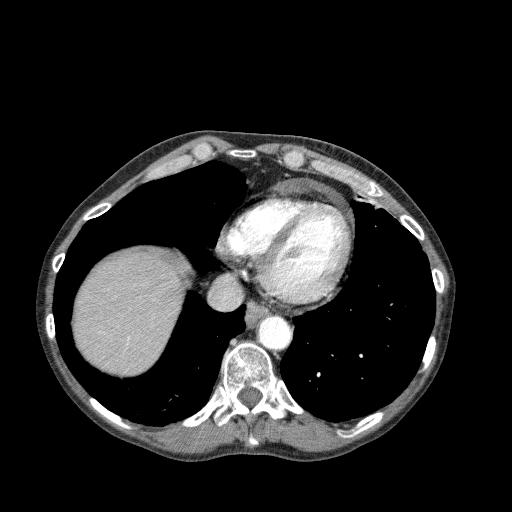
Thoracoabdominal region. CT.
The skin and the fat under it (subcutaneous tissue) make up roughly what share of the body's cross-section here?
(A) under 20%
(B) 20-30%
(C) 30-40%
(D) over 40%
Answer: (A) under 20%
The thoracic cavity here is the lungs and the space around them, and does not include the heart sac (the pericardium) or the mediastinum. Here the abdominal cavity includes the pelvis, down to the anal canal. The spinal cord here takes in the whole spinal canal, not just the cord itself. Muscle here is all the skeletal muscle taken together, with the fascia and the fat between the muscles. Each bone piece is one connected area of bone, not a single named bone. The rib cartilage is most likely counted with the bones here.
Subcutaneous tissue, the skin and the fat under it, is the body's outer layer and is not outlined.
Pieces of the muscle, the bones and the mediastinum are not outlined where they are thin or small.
{"pericardium":[[[295,177],[309,178],[329,186],[343,197],[347,203],[353,222],[353,245],[348,264],[348,271],[335,294],[324,303],[312,307],[310,311],[304,315],[283,316],[256,301],[234,275],[222,268],[215,254],[214,248],[216,246],[222,226],[250,196],[272,184]]],"bones":[{"outer":[[233,338],[253,342],[267,352],[275,374],[282,379],[305,413],[288,411],[285,417],[274,419],[267,412],[261,412],[251,421],[235,414],[221,425],[217,425],[211,415],[195,426],[180,425],[182,420],[206,404],[220,382],[222,359],[225,351],[233,346]],"hole":[[246,387],[251,387],[252,388],[255,388],[256,389],[257,389],[261,393],[261,398],[258,401],[258,402],[257,402],[253,406],[252,406],[251,407],[249,407],[248,406],[245,405],[238,398],[238,394],[241,391],[241,390],[242,390],[244,388],[245,388]]},[[312,159],[319,159],[330,164],[336,164],[346,168],[352,168],[367,177],[373,179],[388,193],[388,195],[387,196],[382,196],[375,198],[373,196],[367,194],[360,190],[354,191],[348,184],[344,183],[332,177],[324,175],[314,170],[309,165],[309,161]],[[202,142],[209,143],[214,149],[215,154],[210,159],[197,165],[183,169],[181,171],[172,173],[169,175],[166,175],[159,178],[152,179],[145,182],[142,182],[142,178],[146,173],[146,170],[148,168],[160,164],[182,154],[188,153],[191,151],[194,146]],[[378,410],[381,410],[384,412],[384,414],[382,418],[377,423],[363,430],[361,432],[356,434],[354,436],[352,437],[348,437],[347,438],[344,438],[343,437],[341,437],[339,436],[336,433],[336,430],[337,429],[348,429],[352,427],[362,418]],[[89,396],[91,396],[93,397],[107,409],[115,413],[117,415],[120,416],[125,422],[131,425],[132,428],[130,429],[128,429],[127,428],[122,427],[114,423],[112,421],[111,421],[109,419],[108,419],[106,417],[102,415],[90,404],[88,400],[88,398]],[[400,214],[407,214],[408,215],[411,216],[420,225],[420,226],[422,228],[422,229],[424,232],[424,234],[425,235],[425,238],[422,241],[419,241],[419,240],[407,228],[406,228],[399,221],[399,220],[398,219],[397,216],[398,216]],[[293,149],[297,151],[299,151],[301,152],[306,159],[306,162],[305,164],[301,168],[299,168],[298,167],[288,167],[288,166],[285,163],[282,162],[280,160],[280,159],[282,158],[282,155],[285,152],[287,151],[289,151],[290,150],[292,150]],[[431,334],[433,334],[435,336],[435,338],[436,339],[436,345],[435,346],[435,350],[428,366],[422,372],[419,372],[418,370],[421,366],[421,364],[422,363],[422,358],[423,357],[423,355],[425,351],[425,348],[426,347],[428,339]],[[101,202],[111,202],[112,203],[113,203],[113,205],[107,211],[104,212],[102,214],[101,214],[96,217],[94,217],[91,219],[89,219],[85,222],[84,221],[83,221],[83,220],[82,219],[82,217],[84,215],[84,214],[93,206],[94,206]],[[235,148],[253,148],[256,150],[256,151],[257,152],[257,154],[256,155],[256,156],[253,158],[251,158],[250,159],[243,159],[241,157],[239,157],[236,155],[233,155],[232,154],[228,154],[227,153],[227,151],[228,151],[231,149],[234,149]],[[47,312],[52,312],[52,313],[53,314],[53,320],[54,321],[54,324],[55,325],[55,339],[56,340],[55,341],[50,339],[48,337],[48,336],[47,335],[47,333],[46,332],[46,329],[45,328],[45,321],[44,320],[44,318],[45,317],[45,315]]],"muscle":[[[91,206],[81,217],[84,223],[66,252],[60,251],[52,258],[51,269],[56,277],[52,311],[47,311],[44,315],[44,328],[47,337],[57,342],[71,373],[90,395],[87,398],[89,404],[102,416],[122,428],[133,428],[123,418],[147,426],[164,426],[180,421],[181,427],[190,428],[198,426],[211,416],[215,424],[221,426],[235,415],[240,415],[251,422],[261,413],[267,413],[276,420],[285,418],[288,412],[296,415],[308,412],[327,422],[356,422],[348,428],[335,430],[339,437],[347,439],[377,424],[385,414],[380,409],[407,387],[417,371],[422,373],[429,366],[436,350],[437,339],[432,330],[436,313],[436,294],[441,295],[444,292],[444,274],[438,267],[430,267],[420,243],[426,238],[421,225],[449,276],[447,303],[443,311],[443,330],[433,368],[412,399],[392,418],[373,432],[331,450],[303,451],[281,442],[266,442],[259,445],[258,440],[250,433],[246,443],[252,447],[233,443],[219,445],[205,453],[184,454],[155,447],[125,434],[97,416],[72,391],[54,361],[42,323],[51,258],[77,219]],[[204,135],[221,137],[226,141],[241,147],[231,148],[227,150],[226,153],[222,152],[219,154],[216,153],[214,147],[209,142],[199,142],[188,152],[148,167],[141,178],[142,183],[126,193],[115,203],[111,201],[101,201],[95,204],[159,157],[194,138]],[[270,142],[293,143],[294,144],[305,146],[307,148],[318,153],[346,163],[365,174],[352,167],[346,167],[336,163],[330,163],[319,158],[312,158],[308,161],[308,165],[313,170],[311,169],[304,169],[302,168],[306,164],[307,159],[301,151],[294,148],[285,151],[281,155],[281,158],[279,159],[277,158],[273,159],[270,155],[260,155],[256,157],[258,154],[257,150],[253,147],[250,147],[253,147],[258,144],[269,143]],[[384,188],[391,193],[391,194],[406,208],[406,209],[415,218],[415,219],[411,215],[407,213],[400,213],[398,215],[396,215],[390,211],[390,210],[388,209],[385,205],[384,205],[378,199],[377,199],[377,198],[387,197],[389,195],[389,193]]],"spinal_cord":[[[246,387],[251,387],[252,388],[255,388],[256,389],[257,389],[261,393],[261,398],[258,401],[258,402],[257,402],[253,406],[252,406],[251,407],[249,407],[248,406],[245,405],[238,398],[238,394],[241,391],[241,390],[242,390],[244,388],[245,388]]],"mediastinum":[[[212,249],[221,268],[234,276],[256,302],[280,316],[295,317],[293,340],[281,358],[278,369],[264,348],[253,341],[235,338],[246,327],[244,305],[231,311],[219,311],[212,308],[197,290],[192,289],[197,274],[200,277],[205,276],[215,267],[216,260]],[[222,153],[243,160],[270,156],[288,168],[311,170],[348,185],[353,191],[350,206],[354,217],[354,241],[354,222],[344,197],[333,187],[309,177],[295,176],[272,183],[250,195],[232,213],[247,191],[246,177],[235,167],[214,160],[212,158],[214,155]]],"abdominal_cavity":[[[142,244],[177,248],[185,254],[197,273],[191,289],[188,290],[185,295],[181,311],[171,335],[157,361],[147,371],[139,375],[133,377],[118,378],[108,375],[90,365],[76,348],[70,325],[73,304],[80,285],[92,267],[99,260],[104,256],[122,248]]],"torso":[[[206,129],[299,135],[348,149],[393,178],[439,236],[456,282],[446,352],[422,397],[380,437],[343,455],[317,461],[246,454],[196,462],[179,461],[106,432],[74,404],[57,381],[42,349],[35,321],[38,276],[50,243],[71,212],[130,159],[172,136]]],"thoracic_cavity":[[[211,159],[246,185],[210,250],[214,267],[200,276],[177,247],[130,245],[99,259],[73,299],[75,348],[118,379],[158,361],[188,291],[219,312],[245,308],[203,406],[164,425],[131,421],[68,367],[56,339],[57,274],[87,221],[141,184]],[[356,191],[378,200],[418,240],[429,263],[435,291],[435,313],[421,363],[406,387],[389,403],[357,421],[334,422],[317,417],[302,407],[283,379],[276,374],[275,368],[279,369],[294,340],[294,319],[331,299],[348,275],[355,241],[355,217],[351,204]]]}